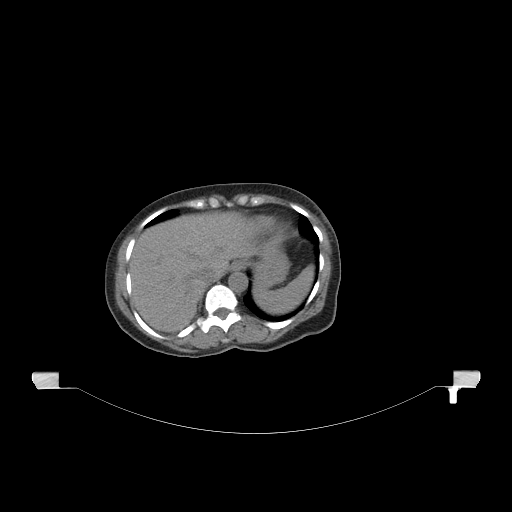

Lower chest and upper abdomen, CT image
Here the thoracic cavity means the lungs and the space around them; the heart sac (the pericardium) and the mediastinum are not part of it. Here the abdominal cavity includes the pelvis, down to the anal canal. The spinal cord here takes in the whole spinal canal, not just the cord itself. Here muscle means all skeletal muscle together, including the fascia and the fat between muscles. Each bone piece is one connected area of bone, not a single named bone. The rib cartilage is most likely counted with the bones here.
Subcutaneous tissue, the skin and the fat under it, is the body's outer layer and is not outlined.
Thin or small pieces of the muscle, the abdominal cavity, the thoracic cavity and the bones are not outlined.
Outlines (x, y in pixels):
muscle 1: [[295,203],[313,213],[323,224],[331,246],[331,273],[321,311],[276,340],[268,343],[233,341],[194,352],[180,351],[145,335],[118,307],[114,294],[118,250],[125,237],[142,220],[138,226],[140,231],[137,237],[132,237],[125,249],[124,258],[129,262],[125,287],[135,308],[132,311],[133,316],[149,335],[162,340],[166,340],[168,337],[165,335],[170,334],[182,338],[196,327],[207,333],[212,326],[219,327],[227,333],[231,325],[244,318],[238,310],[239,305],[264,320],[263,324],[266,327],[272,330],[284,328],[295,319],[295,315],[304,304],[308,305],[316,295],[320,286],[318,274],[324,267],[324,256],[320,251],[323,234],[317,225],[310,222],[309,213]]
muscle 2: [[239,193],[267,194],[280,197],[283,199],[294,202],[291,202],[289,204],[289,207],[288,207],[277,203],[264,203],[265,199],[262,196],[259,195],[248,196],[244,194],[241,195],[237,199],[236,201],[237,204],[235,205],[233,205],[230,202],[228,202],[225,205],[221,205],[219,200],[213,196],[209,197],[207,200],[202,198],[194,198],[203,195],[208,196],[211,194],[219,194],[224,196],[227,199],[230,199],[234,195]]
muscle 3: [[185,200],[189,200],[188,200],[187,201],[187,202],[186,203],[186,205],[188,207],[180,207],[179,208],[171,208],[170,209],[168,209],[168,207],[166,205],[169,205],[170,204],[172,204],[173,203],[176,203],[177,202],[180,202],[181,201],[184,201]]
pericardium: [[266,208],[277,208],[284,210],[286,212],[291,214],[297,222],[297,226],[298,227],[297,231],[294,234],[292,234],[286,238],[280,239],[277,241],[266,241],[261,244],[259,244],[257,241],[252,226],[247,220],[241,215],[243,212],[247,210],[265,209]]
spinal cord: [[219,308],[225,308],[226,309],[228,309],[229,310],[229,312],[227,314],[227,315],[224,318],[220,318],[217,315],[216,315],[214,313],[215,312],[215,311],[216,310],[217,310]]
abdominal cavity: [[209,207],[244,218],[259,245],[286,239],[298,230],[313,244],[313,285],[297,309],[273,316],[253,302],[250,270],[232,270],[206,290],[201,313],[191,323],[176,333],[160,333],[141,317],[132,298],[128,271],[136,239],[142,229],[173,218],[180,208]]
thoracic cavity 1: [[246,270],[249,270],[250,273],[250,295],[252,302],[259,310],[268,316],[273,317],[283,316],[297,310],[302,305],[303,305],[302,307],[294,315],[283,320],[270,321],[258,317],[242,305],[243,298],[247,293],[248,288],[250,285],[247,275],[245,273]]
thoracic cavity 2: [[300,214],[308,219],[309,222],[311,224],[312,229],[318,238],[318,242],[319,243],[318,273],[317,274],[317,278],[315,280],[314,283],[314,280],[317,275],[316,272],[316,255],[314,250],[314,244],[310,239],[304,235],[302,235],[299,231],[299,217]]
thoracic cavity 3: [[171,209],[179,209],[179,212],[178,214],[175,215],[171,218],[168,218],[165,220],[163,220],[162,221],[157,222],[154,224],[152,224],[151,225],[149,225],[148,226],[144,227],[150,221],[151,221],[159,215],[162,214],[164,212],[168,210],[170,210]]
mediastinum 1: [[232,271],[244,271],[244,273],[246,275],[248,281],[248,284],[249,285],[247,288],[246,293],[242,298],[242,303],[241,305],[239,303],[239,301],[235,293],[232,289],[227,285],[223,283],[215,283],[214,284],[212,284],[213,284],[214,283],[214,282],[217,281],[222,276]]
mediastinum 2: [[262,204],[277,204],[281,206],[291,208],[299,214],[298,217],[298,226],[297,220],[291,213],[286,211],[284,209],[277,207],[247,209],[243,211],[241,214],[228,210],[215,209],[218,206],[225,206],[226,207],[238,206],[239,205],[258,206]]
bones 1: [[215,284],[223,284],[231,289],[239,304],[237,310],[243,318],[231,324],[227,332],[216,325],[212,325],[207,332],[202,331],[198,326],[196,326],[186,335],[178,337],[178,332],[191,324],[199,316],[206,315],[206,312],[204,310],[205,294],[207,290]]; inner edge: [[219,308],[225,308],[226,309],[228,309],[229,310],[229,312],[227,314],[227,315],[224,318],[220,318],[217,315],[216,315],[214,313],[215,312],[215,311],[216,310],[217,310]]
bones 2: [[211,197],[213,197],[217,199],[220,204],[220,205],[218,205],[215,207],[211,207],[208,205],[204,208],[195,208],[194,207],[189,207],[187,205],[187,203],[188,201],[190,200],[193,200],[194,199],[202,199],[205,201],[207,201],[209,199],[209,198]]
bones 3: [[134,310],[136,310],[136,311],[139,314],[140,317],[152,329],[153,329],[156,332],[162,335],[164,335],[166,337],[167,337],[167,338],[166,339],[162,339],[161,338],[155,337],[149,334],[138,323],[138,322],[136,320],[133,313],[133,311]]
bones 4: [[244,195],[248,197],[253,197],[254,196],[259,196],[260,197],[262,197],[264,199],[264,201],[263,203],[261,204],[259,204],[258,205],[250,205],[248,202],[245,205],[244,204],[238,204],[237,202],[238,199],[241,196],[243,196]]
bones 5: [[293,316],[294,316],[294,319],[289,324],[286,325],[284,327],[282,327],[281,328],[279,328],[278,329],[272,329],[271,328],[266,326],[264,324],[264,321],[269,321],[270,322],[278,322],[279,321],[283,321],[284,320],[285,320],[286,319],[288,319]]
bones 6: [[164,206],[166,206],[167,207],[167,210],[164,211],[162,213],[159,214],[157,216],[156,216],[154,218],[150,220],[141,229],[139,228],[139,226],[140,224],[145,218],[146,218],[149,215],[150,215],[154,211]]
bones 7: [[317,279],[318,279],[319,280],[319,286],[317,289],[317,291],[316,292],[315,295],[313,297],[313,298],[310,301],[310,302],[308,304],[305,304],[305,302],[306,301],[306,300],[308,298],[308,297],[312,290],[312,288],[313,287],[313,286]]
bones 8: [[132,238],[134,238],[135,239],[135,242],[133,245],[133,248],[131,251],[131,254],[130,255],[130,257],[129,258],[129,260],[128,261],[126,261],[126,259],[125,258],[125,253],[126,252],[126,249],[127,248],[127,246],[128,245],[128,243]]
bones 9: [[291,203],[294,203],[295,204],[298,205],[303,209],[304,209],[308,213],[308,214],[309,215],[309,218],[308,218],[307,217],[306,217],[304,215],[303,215],[302,214],[299,213],[297,211],[294,210],[291,207],[290,207],[290,204]]
bones 10: [[128,272],[129,272],[129,273],[130,274],[130,280],[131,281],[131,295],[130,295],[128,293],[128,292],[127,291],[127,288],[126,287],[126,275],[127,274],[127,273]]
bones 11: [[312,225],[315,225],[316,226],[317,226],[319,228],[319,229],[320,230],[320,231],[322,234],[322,242],[321,243],[320,243],[319,242],[319,238],[318,237],[318,236],[317,235],[317,234],[315,232],[315,231],[313,229],[313,227],[312,226]]
bones 12: [[320,252],[321,252],[321,253],[322,254],[322,255],[323,256],[323,267],[322,268],[322,270],[321,271],[319,271],[319,253]]
torso: [[229,182],[269,182],[285,185],[310,197],[324,212],[336,233],[341,258],[341,280],[333,323],[320,333],[305,336],[265,352],[233,348],[215,355],[192,358],[168,355],[141,345],[118,326],[105,300],[105,261],[115,237],[138,210],[159,197],[185,188]]